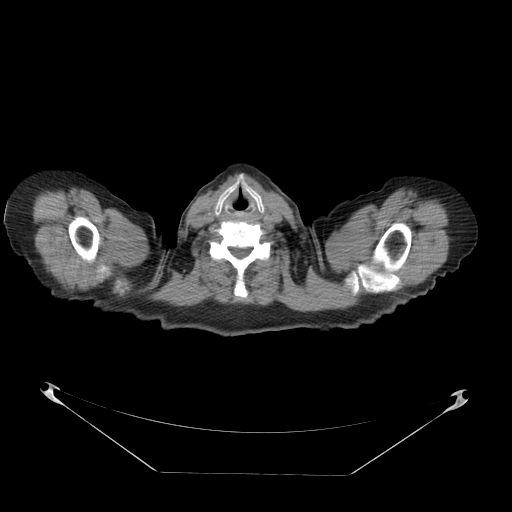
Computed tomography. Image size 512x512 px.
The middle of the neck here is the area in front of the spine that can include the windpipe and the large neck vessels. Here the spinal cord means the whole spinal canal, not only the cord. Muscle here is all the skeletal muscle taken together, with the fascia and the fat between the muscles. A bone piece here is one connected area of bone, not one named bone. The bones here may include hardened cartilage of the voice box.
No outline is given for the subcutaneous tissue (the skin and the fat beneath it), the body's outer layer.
Outlined structures:
torso 1: 316,242 321,260 322,272 324,275 364,284 369,288 409,302 398,306 395,312 384,315 373,324 364,324 354,329 336,328 330,331 320,331 300,327 278,331 252,333 272,327 288,312 296,302 303,292 312,273
torso 2: 166,240 166,242 172,246 175,258 176,272 190,299 194,316 246,334 236,336 221,336 208,331 192,328 163,330 157,320 140,321 131,314 101,312 92,306 92,303 123,296 150,286 160,270 165,254
left arm: 402,174 438,178 454,185 466,197 478,222 477,243 472,252 460,262 459,268 443,277 438,277 432,290 410,301 364,283 324,274 317,242 309,224 314,216 328,212 340,201 371,190 378,190 386,179
muscle 1: 237,169 257,177 288,203 299,229 303,232 313,267 319,273 328,265 325,243 329,234 360,207 386,198 402,186 439,198 445,204 449,215 447,259 425,281 415,286 402,292 369,295 357,305 346,309 301,312 292,310 280,302 259,306 226,305 212,300 204,300 191,306 175,306 146,299 144,297 161,281 168,270 170,257 180,245 186,214 193,202, around holes outlined by 240,173 264,205 262,217 244,220 259,223 266,232 261,240 271,242 269,257 254,260 244,271 248,292 245,298 234,294 237,271 232,264 209,254 209,242 219,237 210,230 224,220 214,216 214,207 220,194 and by 395,222 405,223 411,230 411,245 406,260 396,272 401,280 402,286 394,291 376,294 366,291 361,286 357,294 353,296 343,286 344,277 352,270 355,270 359,264 369,264 371,262 371,257 376,244 384,232
muscle 2: 51,183 69,183 89,190 100,201 118,209 144,230 152,252 149,258 135,271 134,283 136,288 131,295 110,297 101,293 69,292 64,290 45,271 40,261 41,258 35,250 34,234 30,220 34,196 44,186 with holes at 76,216 84,216 86,217 95,225 97,228 97,230 100,236 100,242 99,243 98,251 97,252 96,257 94,261 90,263 81,258 81,257 76,252 70,240 70,237 69,236 69,233 68,232 68,225 69,223 and at 117,279 119,279 122,281 126,281 127,282 127,285 128,286 128,288 127,289 126,289 124,291 124,292 123,293 120,293 117,290 116,290 115,289 114,289 114,286 115,285 115,282 and at 102,264 104,264 105,265 106,265 107,266 108,266 109,267 109,268 110,269 110,271 111,272 111,273 109,275 106,275 104,273 101,273 100,272 99,272 98,271 98,269 99,268 99,267
right arm: 48,167 83,171 132,207 143,208 152,215 156,228 162,232 166,239 159,270 150,285 123,295 92,302 90,300 66,301 55,298 47,288 38,282 27,262 11,249 3,222 8,197 18,181 35,170
middle of the neck: 240,184 254,199 258,211 261,214 264,213 264,215 262,217 259,217 256,219 245,219 244,220 241,219 226,219 225,220 221,218 215,217 214,214 216,216 218,216 221,213 223,209 223,204 225,200 230,193
bones 1: 395,222 405,223 411,230 411,245 406,260 396,272 401,280 402,286 394,291 376,294 366,291 361,286 357,294 353,296 343,286 344,277 352,270 355,270 359,264 369,264 371,262 371,257 376,244 384,232
bones 2: 224,220 259,223 260,227 266,232 261,240 271,242 269,257 265,260 254,260 244,271 244,282 248,292 245,298 234,294 237,271 232,264 223,258 215,260 209,254 209,242 219,237 210,230 218,228, around a hole outlined by 230,247 238,247 239,248 246,248 247,247 250,247 251,248 251,250 247,255 246,255 245,256 244,256 241,258 239,258 238,257 236,257 234,255 233,255 232,254 232,253 230,251 230,250 229,249 229,248
bones 3: 76,216 84,216 86,217 95,225 97,228 97,230 100,236 100,242 99,243 98,251 97,252 96,257 94,261 90,263 81,258 81,257 76,252 70,240 70,237 69,236 69,233 68,232 68,225 69,223
bones 4: 240,173 244,174 244,180 245,182 261,196 261,199 264,205 264,212 261,213 259,211 255,199 240,183 229,193 222,204 222,209 220,213 218,215 216,215 214,213 214,207 220,194 236,181 237,176
bones 5: 117,279 119,279 122,281 126,281 127,282 127,285 128,286 128,288 127,289 126,289 124,291 124,292 123,293 120,293 117,290 116,290 115,289 114,289 114,286 115,285 115,282
bones 6: 102,264 104,264 105,265 106,265 107,266 108,266 109,267 109,268 110,269 110,271 111,272 111,273 109,275 106,275 104,273 101,273 100,272 99,272 98,271 98,269 99,268 99,267
spinal cord: 230,247 238,247 239,248 246,248 247,247 250,247 251,248 251,250 247,255 246,255 245,256 244,256 241,258 239,258 238,257 236,257 234,255 233,255 232,254 232,253 230,251 230,250 229,249 229,248
head and neck: 237,160 245,160 255,165 263,171 296,203 302,220 309,225 315,239 312,270 302,292 295,302 287,312 272,326 248,334 195,316 191,299 177,272 176,258 172,245 176,239 181,214 197,190 211,180 226,165